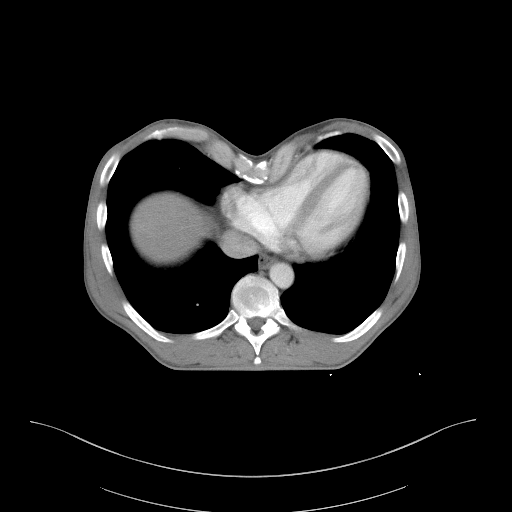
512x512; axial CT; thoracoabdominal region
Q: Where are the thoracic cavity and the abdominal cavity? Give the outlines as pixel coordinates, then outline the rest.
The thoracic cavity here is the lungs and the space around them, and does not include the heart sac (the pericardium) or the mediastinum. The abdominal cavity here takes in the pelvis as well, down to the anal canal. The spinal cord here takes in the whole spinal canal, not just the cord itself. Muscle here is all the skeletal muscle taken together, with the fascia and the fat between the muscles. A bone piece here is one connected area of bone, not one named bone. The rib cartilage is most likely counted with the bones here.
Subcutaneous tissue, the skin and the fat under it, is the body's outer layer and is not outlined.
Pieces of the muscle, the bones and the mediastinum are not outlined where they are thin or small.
A: The thoracic cavity appears in 2 outlined pieces: piece 1: [[164,139],[193,144],[237,180],[220,185],[212,204],[170,187],[142,195],[126,223],[139,260],[156,272],[173,272],[209,243],[233,259],[256,256],[256,269],[233,285],[226,315],[192,333],[160,331],[135,309],[107,243],[107,190],[121,158],[146,141]]; piece 2: [[344,133],[354,133],[372,140],[393,163],[400,226],[394,274],[385,297],[355,327],[335,334],[307,329],[295,323],[281,305],[281,296],[296,283],[296,265],[325,262],[342,253],[355,239],[366,219],[373,196],[370,171],[350,153],[318,147],[322,140]]. The abdominal cavity is outlined by [[165,188],[178,190],[195,198],[200,202],[213,206],[213,209],[215,210],[215,215],[217,217],[217,225],[211,242],[209,242],[189,263],[179,269],[167,272],[151,269],[140,260],[132,248],[127,228],[128,217],[134,204],[142,196],[154,190],[160,190]]. The muscle appears in 2 outlined pieces: piece 1: [[160,123],[201,127],[220,139],[210,140],[205,130],[192,126],[170,125],[156,128],[143,137],[143,142],[122,156],[116,151],[112,153],[100,172],[98,183],[101,187],[107,186],[106,199],[98,202],[95,213],[96,226],[100,231],[105,230],[106,237],[106,242],[100,245],[101,257],[108,274],[112,276],[114,272],[126,298],[121,301],[123,310],[149,336],[163,343],[174,341],[161,332],[190,334],[193,340],[205,340],[218,337],[226,329],[232,327],[252,346],[254,365],[262,362],[260,357],[262,345],[268,338],[278,334],[281,326],[296,332],[311,330],[338,335],[331,338],[335,343],[350,342],[362,336],[381,317],[383,313],[381,304],[392,281],[393,284],[398,281],[406,256],[406,243],[399,239],[401,223],[405,224],[408,221],[409,204],[405,192],[398,189],[395,170],[395,165],[400,164],[402,159],[412,202],[417,254],[416,279],[405,301],[353,354],[334,364],[278,367],[202,366],[178,365],[160,357],[132,330],[101,308],[90,290],[87,279],[87,225],[93,188],[99,169],[105,158],[116,147]]; piece 2: [[336,121],[357,123],[369,127],[382,135],[374,132],[371,135],[371,139],[358,133],[348,132],[346,129],[329,130],[318,134],[314,141],[311,144],[307,144],[303,151],[295,158],[294,157],[297,156],[297,146],[291,141],[284,143],[298,135],[316,130]]. The spinal cord is outlined by [[253,317],[260,317],[261,318],[262,318],[263,319],[264,319],[264,322],[260,326],[260,327],[259,328],[259,329],[258,330],[253,330],[252,329],[252,328],[249,325],[249,324],[248,323],[248,319],[250,319],[251,318],[252,318]]. The torso is outlined by [[332,117],[367,122],[400,146],[407,161],[419,229],[421,275],[418,288],[401,315],[357,358],[331,371],[178,371],[159,363],[131,336],[98,313],[83,283],[82,238],[92,177],[108,148],[154,120],[181,118],[205,124],[245,151],[260,154],[292,132]]. The bones appear in 11 outlined pieces: piece 1: [[248,273],[269,280],[278,291],[280,305],[286,315],[295,324],[306,329],[296,331],[281,325],[279,332],[268,337],[261,345],[259,364],[253,362],[253,346],[232,326],[218,336],[205,339],[191,337],[193,333],[216,325],[227,315],[232,289],[236,282]], around a hole outlined by [[253,317],[260,317],[261,318],[262,318],[263,319],[264,319],[264,322],[260,326],[260,327],[259,328],[259,329],[258,330],[253,330],[252,329],[252,328],[249,325],[249,324],[248,323],[248,319],[250,319],[251,318],[252,318]]; piece 2: [[170,126],[201,129],[207,133],[210,141],[221,140],[235,153],[243,154],[254,163],[268,159],[289,142],[296,146],[296,156],[293,157],[279,178],[274,181],[252,183],[238,177],[208,156],[206,142],[190,142],[177,138],[144,141],[144,137],[152,131]]; piece 3: [[123,300],[127,300],[134,308],[134,309],[147,322],[148,322],[155,329],[156,329],[167,337],[172,339],[173,341],[172,342],[163,342],[162,341],[159,341],[149,335],[141,328],[140,328],[128,316],[128,315],[124,310],[122,306],[122,301]]; piece 4: [[379,306],[381,306],[382,307],[382,313],[380,317],[377,320],[377,321],[366,332],[365,332],[362,335],[353,340],[351,340],[350,341],[346,341],[345,342],[335,342],[332,340],[332,338],[333,337],[345,334],[349,332],[354,328],[355,328]]; piece 5: [[374,133],[382,136],[388,141],[389,141],[393,145],[393,146],[399,153],[399,155],[401,159],[401,161],[400,163],[398,164],[395,164],[391,160],[391,159],[387,155],[387,154],[383,150],[383,149],[375,141],[374,141],[372,139],[372,135]]; piece 6: [[116,152],[117,153],[119,153],[119,154],[121,157],[120,158],[107,185],[104,185],[103,186],[101,186],[99,183],[99,180],[100,179],[100,175],[101,174],[101,172],[102,171],[106,162],[108,160],[108,159],[110,157],[110,156],[112,154],[113,154]]; piece 7: [[400,241],[403,241],[405,243],[405,245],[406,246],[405,248],[405,256],[404,257],[404,260],[403,261],[403,264],[402,265],[402,268],[401,269],[399,277],[397,281],[395,283],[393,283],[393,278],[395,274],[396,254],[398,249],[398,245]]; piece 8: [[399,190],[401,190],[404,192],[404,193],[406,196],[406,198],[407,199],[407,203],[408,204],[408,217],[407,218],[407,221],[405,223],[402,223],[401,222],[401,221],[400,220],[400,216],[399,215],[399,208],[398,207],[398,191]]; piece 9: [[102,200],[105,200],[105,201],[106,202],[106,207],[107,208],[107,216],[106,217],[106,221],[105,222],[105,227],[102,230],[100,230],[98,228],[98,227],[97,226],[97,219],[96,218],[96,213],[97,212],[97,206],[98,205],[99,202]]; piece 10: [[103,243],[106,243],[107,244],[108,248],[109,249],[109,251],[110,252],[110,254],[111,255],[111,258],[112,259],[112,262],[113,263],[113,274],[112,275],[109,274],[106,268],[106,266],[104,263],[103,258],[102,257],[102,254],[101,253],[101,245]]; piece 11: [[333,130],[346,130],[347,132],[344,132],[338,135],[334,135],[333,136],[330,136],[329,137],[324,138],[318,142],[315,142],[315,139],[318,135],[320,134],[322,134],[323,133],[325,133],[326,132],[328,132],[329,131],[332,131]]. The mediastinum appears in 2 outlined pieces: piece 1: [[238,178],[251,183],[243,181],[230,183],[221,190],[217,198],[217,209],[223,226],[230,232],[253,238],[265,252],[304,263],[294,266],[295,283],[280,296],[269,279],[250,272],[257,269],[256,255],[233,258],[212,242],[218,225],[216,210],[212,205],[220,186],[229,182],[235,182]]; piece 2: [[363,222],[363,224],[361,228],[351,243],[348,246],[347,246],[342,251],[342,252],[340,252],[335,255],[338,250],[341,249],[344,246],[345,246],[346,244],[347,244],[348,242],[349,242],[350,240],[352,239],[352,238],[356,234],[362,225],[362,223]]. The pericardium is outlined by [[310,148],[331,148],[350,154],[365,166],[371,178],[371,196],[365,217],[351,239],[334,255],[320,261],[297,262],[265,251],[260,248],[253,237],[230,231],[224,226],[218,209],[218,198],[226,186],[238,182],[248,184],[274,182],[282,176],[294,159]].